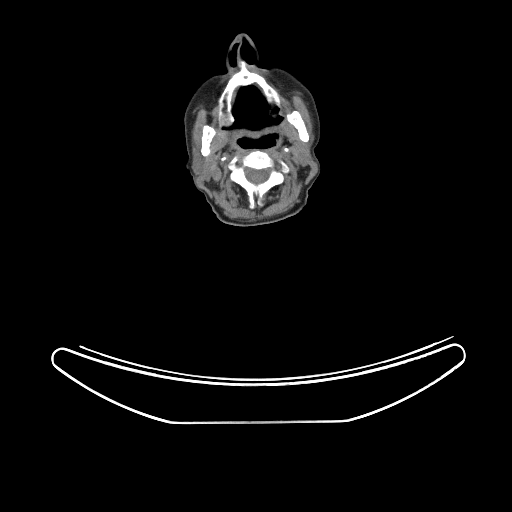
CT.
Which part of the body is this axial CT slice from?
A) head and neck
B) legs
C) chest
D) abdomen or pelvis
Answer: A) head and neck
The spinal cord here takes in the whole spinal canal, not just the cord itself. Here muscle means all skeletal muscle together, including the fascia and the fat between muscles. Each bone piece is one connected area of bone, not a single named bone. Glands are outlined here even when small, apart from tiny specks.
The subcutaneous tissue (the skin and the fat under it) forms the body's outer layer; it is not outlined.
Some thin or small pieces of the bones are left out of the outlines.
The bones appear in 4 outlined pieces: piece 1: 255 149; 267 153; 275 162; 280 159; 282 160; 288 166; 289 171; 283 174; 283 181; 281 183; 271 187; 262 196; 262 205; 256 205; 253 208; 250 208; 248 194; 239 184; 230 178; 231 171; 228 164; 234 156; 237 155; 241 158 with a hole at 245 168; 252 168; 253 169; 255 169; 256 170; 260 170; 261 169; 267 169; 269 171; 269 174; 268 175; 268 177; 264 181; 263 181; 262 182; 261 182; 260 183; 253 183; 252 182; 251 182; 246 177; 246 176; 245 175; piece 2: 241 60; 246 62; 250 71; 261 75; 278 92; 280 96; 280 108; 278 109; 275 106; 271 107; 258 88; 254 85; 243 86; 238 90; 233 104; 233 124; 228 127; 221 126; 219 125; 218 120; 218 98; 232 74; 239 69; 238 64; piece 3: 293 110; 297 110; 300 113; 301 117; 305 124; 307 132; 309 135; 309 139; 306 142; 302 141; 299 138; 299 136; 298 135; 298 131; 297 129; 291 123; 290 123; 286 118; 287 114; 291 112; piece 4: 205 124; 210 125; 213 128; 214 128; 215 130; 215 134; 213 136; 210 142; 210 144; 209 145; 209 149; 210 150; 210 152; 207 156; 203 156; 201 154; 201 152; 200 151; 200 149; 201 148; 201 136; 202 135; 202 127. The parotid glands are outlined by 195 154; 199 158; 199 159; 200 160; 200 161; 201 162; 201 168; 199 170; 199 171; 197 173; 195 173; 194 172; 194 171; 193 170; 193 169; 192 168; 192 160; 193 159; 193 156. The muscle is outlined by 238 68; 231 74; 217 98; 219 126; 226 128; 233 126; 254 131; 270 124; 277 124; 281 120; 279 92; 261 74; 249 68; 267 72; 304 94; 307 97; 314 121; 314 138; 310 146; 310 154; 317 165; 316 173; 303 186; 299 194; 299 201; 293 207; 283 213; 261 219; 237 219; 224 215; 214 200; 199 186; 196 174; 202 168; 202 162; 195 153; 193 155; 192 153; 194 106; 216 83; inner edges: 267 134; 273 136; 273 144; 258 149; 267 153; 275 162; 282 160; 289 171; 283 174; 281 183; 271 187; 262 196; 262 205; 250 208; 248 194; 230 178; 228 164; 234 156; 241 158; 258 148; 243 147; 238 143; 240 138; 258 139, then 293 110; 297 110; 300 113; 301 117; 305 124; 307 132; 309 135; 309 139; 306 142; 302 141; 299 138; 299 136; 298 135; 298 131; 297 129; 291 123; 290 123; 286 118; 287 114; 291 112, then 205 124; 210 125; 213 128; 214 128; 215 130; 215 134; 213 136; 210 142; 210 144; 209 145; 209 149; 210 150; 210 152; 207 156; 203 156; 201 154; 201 152; 200 151; 200 149; 201 148; 201 136; 202 135; 202 127. The head and neck is outlined by 240 32; 247 33; 254 42; 261 67; 275 66; 285 69; 310 90; 320 120; 320 139; 315 154; 321 169; 308 191; 306 206; 283 220; 254 226; 235 226; 218 220; 185 167; 187 152; 183 117; 186 106; 202 82; 226 71; 227 49 with holes at 247 86; 254 86; 257 88; 263 96; 267 104; 271 108; 274 108; 275 107; 279 110; 280 120; 277 123; 270 123; 268 125; 261 127; 259 129; 255 129; 254 130; 245 127; 237 127; 233 125; 235 122; 233 108; 238 92; 241 88 and at 267 134; 271 134; 271 135; 273 136; 273 144; 267 147; 261 147; 260 148; 258 148; 257 147; 243 147; 238 143; 238 140; 240 138; 243 138; 244 137; 245 138; 249 138; 250 139; 258 139; 259 138; 261 138; 262 136; 264 136 and at 244 41; 246 41; 247 42; 247 43; 250 46; 250 47; 252 49; 252 50; 254 53; 254 61; 251 63; 250 63; 249 62; 247 62; 245 60; 245 59; 243 57; 243 56; 242 55; 242 53; 241 52; 242 45; 243 44; 243 42 and at 235 45; 236 45; 236 49; 235 50; 235 64; 232 64; 231 63; 231 62; 230 61; 230 55; 231 54; 231 52; 232 51; 232 50; 233 49; 233 47. The spinal cord is outlined by 245 168; 252 168; 253 169; 255 169; 256 170; 260 170; 261 169; 267 169; 269 171; 269 174; 268 175; 268 177; 264 181; 263 181; 262 182; 261 182; 260 183; 253 183; 252 182; 251 182; 246 177; 246 176; 245 175.